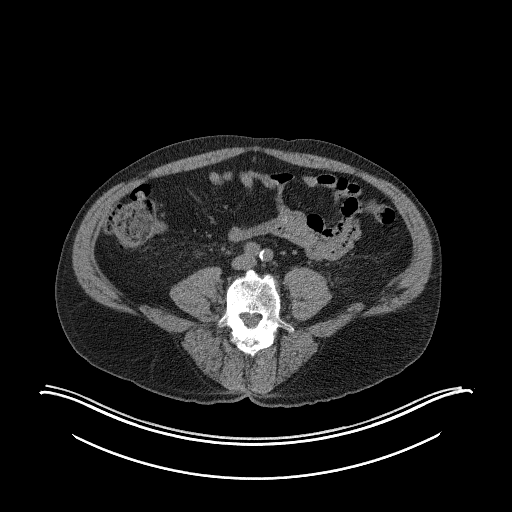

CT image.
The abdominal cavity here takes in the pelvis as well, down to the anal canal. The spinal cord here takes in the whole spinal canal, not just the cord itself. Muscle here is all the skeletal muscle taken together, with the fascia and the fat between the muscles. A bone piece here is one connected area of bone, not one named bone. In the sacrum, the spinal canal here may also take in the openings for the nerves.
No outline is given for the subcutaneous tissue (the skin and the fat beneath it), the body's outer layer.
The torso is outlined by 217,134 331,142 380,165 415,194 429,213 440,240 441,299 427,347 401,373 357,393 312,405 264,407 248,397 204,405 143,389 90,365 73,349 57,315 54,284 64,239 81,206 109,177 144,155 175,142. The muscle appears in 2 outlined pieces: piece 1: 249,146 333,159 388,181 420,212 433,252 430,276 417,297 395,311 357,317 324,338 308,361 268,394 223,391 209,385 179,351 171,334 141,315 118,311 91,298 72,266 77,230 90,207 110,188 172,161; inner edge: 250,151 359,177 389,197 412,244 408,265 374,304 354,302 292,332 279,327 272,345 253,356 231,341 228,326 217,325 226,308 220,267 202,267 171,286 169,297 186,317 126,298 94,252 108,210 139,183; piece 2: 293,267 305,267 321,274 321,275 325,278 328,289 331,293 331,298 330,300 311,318 299,318 294,316 292,314 292,312 290,308 290,305 289,304 290,300 287,296 288,291 284,288 284,285 282,282 285,274. The abdominal cavity is outlined by 250,151 351,174 389,197 409,232 412,251 408,265 374,304 354,302 308,328 290,327 279,316 281,296 271,273 247,269 225,293 222,270 212,265 169,289 186,317 126,298 104,274 94,248 112,204 141,182, around a hole outlined by 293,267 305,267 321,274 321,275 325,278 328,289 331,293 331,298 330,300 311,318 299,318 294,316 292,314 292,312 290,308 290,305 289,304 290,300 287,296 288,291 284,288 284,285 282,282 285,274. The bones are outlined by 250,269 253,269 260,276 269,273 275,278 281,303 278,316 284,324 294,328 290,332 279,327 275,333 272,345 258,350 253,356 243,352 231,341 231,329 228,326 221,327 217,325 217,321 225,312 228,286, around a hole outlined by 244,313 248,313 249,314 258,314 259,315 260,315 260,319 258,321 258,322 256,324 256,325 255,326 254,326 253,327 249,327 248,326 247,326 244,323 244,322 243,321 243,320 241,317 241,315. The spinal cord is outlined by 244,313 248,313 249,314 258,314 259,315 260,315 260,319 258,321 258,322 256,324 256,325 255,326 254,326 253,327 249,327 248,326 247,326 244,323 244,322 243,321 243,320 241,317 241,315.